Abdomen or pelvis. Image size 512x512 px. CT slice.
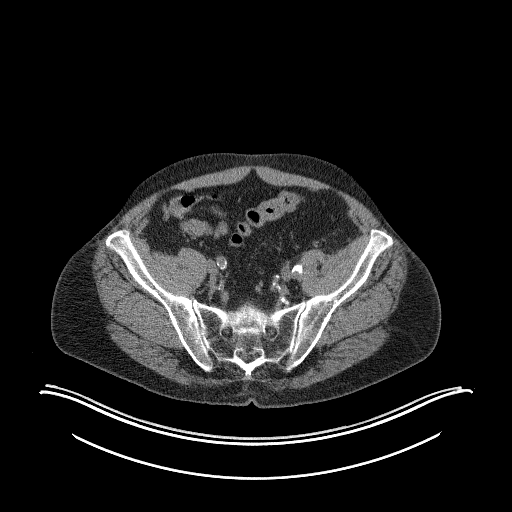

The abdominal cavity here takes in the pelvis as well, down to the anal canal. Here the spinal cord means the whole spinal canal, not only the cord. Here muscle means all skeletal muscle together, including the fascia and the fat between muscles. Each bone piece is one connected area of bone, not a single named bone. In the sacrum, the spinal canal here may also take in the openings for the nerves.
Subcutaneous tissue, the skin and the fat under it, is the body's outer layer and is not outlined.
Outlines:
muscle: [[241,165],[264,165],[282,171],[299,174],[327,183],[348,193],[365,205],[378,219],[387,231],[399,242],[407,259],[406,281],[400,292],[400,297],[397,307],[390,315],[385,325],[385,327],[389,331],[389,337],[387,341],[372,355],[331,377],[321,381],[318,381],[306,387],[285,388],[282,390],[275,391],[268,388],[261,382],[249,381],[248,380],[247,381],[240,380],[213,387],[204,387],[201,385],[186,386],[157,373],[131,358],[112,341],[105,327],[105,325],[110,317],[105,312],[104,308],[100,303],[96,290],[95,280],[92,274],[92,267],[91,266],[91,263],[93,260],[94,253],[97,248],[98,242],[108,233],[129,209],[152,193],[166,186],[175,184],[192,177]], around a hole outlined by [[252,170],[275,186],[335,192],[360,232],[335,252],[301,254],[306,296],[346,280],[372,228],[393,244],[296,367],[282,359],[246,375],[214,358],[204,371],[105,241],[129,229],[154,279],[192,299],[204,255],[152,250],[140,236],[148,213],[168,191]]
torso: [[209,152],[307,154],[330,161],[351,174],[431,273],[441,304],[441,328],[433,351],[408,369],[354,393],[318,403],[266,409],[252,402],[233,406],[175,400],[62,352],[51,335],[50,309],[57,278],[69,257],[116,214],[132,190],[145,178],[175,161]]
spinal cord 1: [[240,354],[250,354],[251,355],[253,355],[254,354],[257,354],[257,356],[254,359],[253,359],[251,361],[249,361],[248,362],[246,362],[245,361],[244,361],[242,359],[242,358],[240,356]]
spinal cord 2: [[268,327],[274,327],[276,329],[276,332],[274,334],[274,335],[273,336],[269,336],[267,334],[267,328]]
spinal cord 3: [[227,326],[229,326],[230,327],[230,332],[229,333],[229,335],[228,336],[225,336],[223,334],[223,331],[225,329],[225,328]]
abdominal cavity: [[252,170],[275,186],[335,192],[360,232],[335,252],[304,251],[299,260],[300,284],[309,297],[269,312],[247,301],[227,310],[199,301],[194,293],[206,275],[204,255],[191,247],[182,247],[175,255],[152,250],[140,236],[149,211],[164,193],[233,184]]
bones: [[122,228],[129,229],[163,288],[226,311],[247,302],[269,313],[335,290],[354,268],[372,228],[386,232],[393,244],[335,308],[301,363],[287,371],[284,359],[266,362],[246,375],[229,361],[214,358],[210,371],[194,362],[166,308],[105,245],[107,236]] with holes at [[240,354],[250,354],[251,355],[253,355],[254,354],[257,354],[257,356],[254,359],[253,359],[251,361],[249,361],[248,362],[246,362],[245,361],[244,361],[242,359],[242,358],[240,356]] and at [[268,327],[274,327],[276,329],[276,332],[274,334],[274,335],[273,336],[269,336],[267,334],[267,328]] and at [[227,326],[229,326],[230,327],[230,332],[229,333],[229,335],[228,336],[225,336],[223,334],[223,331],[225,329],[225,328]]